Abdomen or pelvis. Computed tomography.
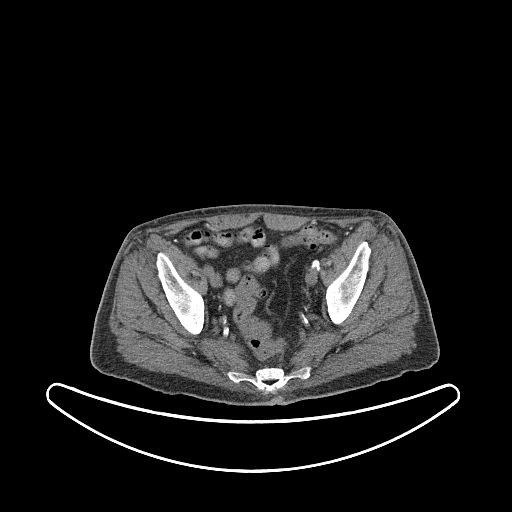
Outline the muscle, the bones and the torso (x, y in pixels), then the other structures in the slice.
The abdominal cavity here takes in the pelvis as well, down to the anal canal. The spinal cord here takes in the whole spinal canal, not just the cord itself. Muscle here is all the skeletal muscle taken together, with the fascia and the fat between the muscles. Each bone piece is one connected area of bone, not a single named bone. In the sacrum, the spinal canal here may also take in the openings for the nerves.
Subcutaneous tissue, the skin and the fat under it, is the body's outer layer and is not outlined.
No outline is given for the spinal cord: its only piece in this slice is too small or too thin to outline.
The muscle is outlined by (258, 211) (279, 213) (280, 214) (288, 214) (289, 215) (299, 215) (300, 216) (313, 216) (314, 215) (316, 216) (335, 216) (336, 217) (371, 216) (374, 217) (377, 220) (383, 219) (385, 222) (384, 223) (386, 225) (387, 224) (391, 226) (394, 230) (400, 245) (402, 247) (405, 254) (405, 257) (409, 269) (410, 278) (413, 286) (413, 290) (418, 304) (419, 318) (414, 327) (415, 330) (415, 337) (414, 338) (416, 342) (416, 347) (412, 352) (409, 354) (402, 355) (400, 358) (393, 362) (384, 363) (380, 365) (364, 369) (358, 372) (347, 374) (315, 386) (307, 388) (299, 388) (286, 393) (269, 394) (266, 396) (264, 395) (258, 395) (255, 393) (247, 393) (243, 391) (232, 391) (219, 386) (193, 380) (177, 374) (170, 374) (169, 373) (150, 371) (125, 361) (116, 350) (115, 336) (111, 332) (109, 325) (109, 318) (113, 304) (116, 281) (118, 277) (120, 266) (124, 258) (124, 252) (130, 243) (134, 240) (134, 236) (137, 235) (139, 232) (143, 232) (146, 229) (155, 228) (162, 225) (170, 224) (180, 220) (195, 218) (196, 217) (211, 216) (223, 213) (249, 213) (250, 212) (257, 212); inner edge: (261, 217) (274, 230) (293, 230) (310, 220) (351, 230) (321, 262) (319, 274) (326, 288) (362, 241) (371, 249) (366, 278) (349, 315) (333, 323) (324, 296) (321, 329) (304, 338) (290, 359) (286, 373) (309, 366) (309, 377) (290, 378) (274, 393) (228, 377) (228, 371) (254, 375) (242, 348) (212, 335) (205, 304) (201, 331) (189, 332) (168, 302) (156, 267) (158, 252) (165, 253) (203, 298) (207, 293) (204, 272) (170, 237) (201, 221) (238, 228). The bones appear in 3 outlined pieces: piece 1: (158, 252) (163, 252) (168, 256) (176, 271) (182, 279) (195, 290) (200, 293) (203, 298) (203, 301) (204, 302) (204, 323) (201, 331) (198, 334) (193, 334) (189, 332) (181, 324) (167, 300) (165, 293) (162, 288) (161, 282) (157, 275) (156, 256); piece 2: (362, 241) (366, 241) (368, 243) (371, 249) (371, 252) (369, 256) (369, 267) (366, 275) (366, 278) (363, 287) (361, 290) (361, 292) (349, 315) (339, 324) (335, 324) (333, 323) (330, 319) (327, 311) (327, 305) (325, 299) (326, 288) (348, 265) (357, 246); piece 3: (305, 366) (309, 366) (311, 368) (308, 378) (290, 378) (283, 387) (278, 389) (274, 393) (265, 393) (262, 390) (259, 390) (247, 380) (242, 380) (236, 383) (231, 380) (227, 375) (228, 371) (239, 371) (252, 377) (258, 369) (266, 367) (282, 368) (286, 373) (288, 373). The torso is outlined by (242, 203) (368, 208) (390, 216) (403, 233) (417, 264) (439, 343) (438, 360) (427, 369) (408, 371) (399, 377) (367, 387) (304, 399) (287, 405) (271, 406) (229, 405) (184, 394) (170, 395) (99, 372) (90, 361) (94, 320) (113, 260) (127, 233) (134, 226) (163, 215). The abdominal cavity is outlined by (261, 217) (274, 230) (293, 230) (307, 221) (318, 220) (351, 231) (321, 262) (319, 274) (325, 287) (321, 329) (303, 339) (290, 359) (289, 370) (266, 366) (254, 373) (237, 343) (212, 335) (204, 301) (207, 293) (204, 272) (170, 237) (201, 221) (220, 228) (238, 228).